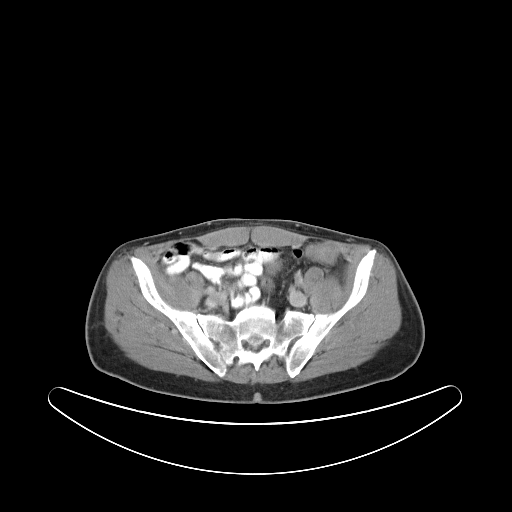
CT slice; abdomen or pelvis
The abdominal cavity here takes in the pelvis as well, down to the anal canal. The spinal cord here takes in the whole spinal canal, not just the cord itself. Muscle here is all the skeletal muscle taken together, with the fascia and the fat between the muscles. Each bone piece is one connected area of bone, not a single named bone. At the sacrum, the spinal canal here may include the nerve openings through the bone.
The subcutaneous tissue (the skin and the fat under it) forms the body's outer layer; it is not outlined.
The bones are outlined by 373,248 365,294 294,377 275,354 258,370 251,363 237,364 235,357 218,376 173,322 145,299 129,257 147,265 158,293 176,309 232,320 239,311 264,304 280,320 286,309 313,314 338,310 351,292 358,263, around a hole outlined by 265,340 267,340 268,341 269,343 269,345 268,346 266,345 262,348 260,348 258,351 253,351 249,348 246,348 245,347 243,347 241,343 242,341 245,341 247,342 248,344 251,347 258,347. The abdominal cavity is outlined by 250,239 264,247 320,242 345,261 343,281 320,266 310,266 303,274 303,287 311,312 286,308 278,319 274,308 259,303 239,310 232,319 202,313 203,277 193,270 166,277 161,254 178,241 197,240 217,249. The muscle is outlined by 240,225 244,226 271,225 291,230 294,232 297,232 304,235 314,235 326,239 331,239 332,240 336,240 341,242 347,242 348,243 369,244 373,247 379,248 390,259 396,272 397,291 398,292 398,298 402,314 402,321 399,330 388,340 388,343 381,348 372,358 358,365 356,367 349,368 342,371 337,371 325,374 311,379 308,379 304,381 299,381 298,382 283,381 277,383 263,383 262,384 256,383 252,385 250,384 235,383 227,380 224,380 221,382 210,382 200,379 195,379 192,377 185,375 176,375 173,373 149,369 134,362 129,358 126,357 124,355 124,353 114,343 108,335 103,323 103,310 104,309 104,303 106,297 106,275 111,263 117,256 123,250 128,250 131,247 134,246 140,246 145,244 150,245 151,244 164,242 172,239 177,239 184,236 200,235 217,229 225,228 229,226 239,226, around a hole outlined by 250,239 314,240 339,253 342,282 317,265 303,274 313,314 344,304 376,249 365,294 294,377 275,354 258,370 235,357 218,376 145,299 129,257 169,305 199,313 203,277 166,277 161,254 178,241 217,249. The spinal cord is outlined by 265,340 267,340 268,341 269,343 269,345 268,346 266,345 262,348 260,348 258,351 253,351 249,348 246,348 245,347 243,347 241,343 242,341 245,341 247,342 248,344 251,347 258,347. The torso is outlined by 218,218 296,220 354,235 374,238 383,242 398,261 422,312 425,339 416,362 400,375 387,381 329,396 272,404 211,402 167,395 143,389 97,370 91,363 87,352 84,323 93,285 110,253 118,245 131,239.